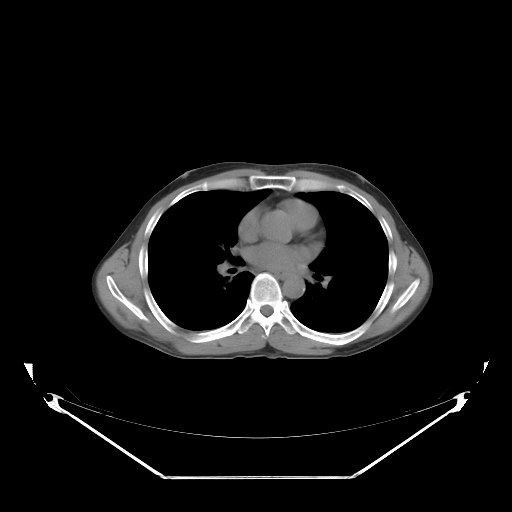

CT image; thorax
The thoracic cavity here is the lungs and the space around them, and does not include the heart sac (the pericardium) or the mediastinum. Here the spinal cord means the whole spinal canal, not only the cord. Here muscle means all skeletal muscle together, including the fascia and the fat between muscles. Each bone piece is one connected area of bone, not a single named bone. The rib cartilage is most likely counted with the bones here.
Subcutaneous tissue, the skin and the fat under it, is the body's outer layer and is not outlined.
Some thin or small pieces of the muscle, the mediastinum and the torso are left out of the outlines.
The muscle appears in 2 outlined pieces: piece 1: 240,168 259,169 266,174 250,174 246,178 223,177 204,180 183,189 168,203 164,211 160,207 150,216 143,233 149,238 147,245 142,244 138,251 139,275 142,279 147,278 148,282 148,286 143,288 148,308 156,320 171,334 175,334 178,327 193,331 189,332 185,338 196,344 221,339 235,333 243,334 257,323 263,329 260,337 264,340 269,336 273,325 278,324 287,334 297,333 317,342 343,346 325,354 288,353 268,344 249,352 185,354 169,343 157,340 144,332 124,327 101,302 96,288 96,276 99,269 120,246 134,238 147,213 156,202 183,185 with a hole at 107,275 110,275 112,277 116,285 121,291 121,292 132,303 137,306 142,311 144,315 148,319 148,321 146,321 139,318 122,302 121,302 118,299 117,299 112,295 107,285 107,282 106,281 106,276; piece 2: 297,169 347,181 370,194 390,213 401,239 407,245 412,246 425,263 429,273 429,285 424,297 410,315 391,330 344,345 360,337 369,328 373,320 385,308 393,292 394,282 387,281 387,279 388,276 395,273 398,260 395,252 392,249 389,250 388,242 393,239 393,235 388,222 381,215 377,218 373,213 374,209 371,203 362,194 343,183 282,174 with a hole at 416,278 418,278 419,279 419,284 418,285 416,290 414,292 414,293 410,297 410,298 401,307 400,307 398,309 397,309 394,312 391,312 391,308 392,307 392,306 394,304 394,303 397,300 398,297. The bones appear in 9 outlined pieces: piece 1: 262,272 275,278 290,311 301,323 325,333 357,328 372,316 386,283 392,281 393,289 368,328 343,345 287,333 278,323 272,325 264,339 264,329 257,322 243,333 196,343 186,336 233,320 245,307 254,277 with a hole at 264,305 268,305 269,306 270,306 272,308 272,312 269,315 268,315 267,316 266,316 265,315 264,315 261,312 261,311 260,310 260,309 261,308 261,307 262,306 263,306; piece 2: 260,174 290,175 297,178 314,178 334,184 343,184 362,195 370,203 373,212 354,197 337,190 289,191 281,188 256,190 218,188 200,190 182,197 168,207 169,203 180,192 204,181 223,178 246,179 250,175; piece 3: 146,287 149,287 149,289 156,303 163,312 163,313 171,321 172,321 178,326 175,329 175,333 171,333 169,331 168,331 157,320 157,319 152,313 151,310 149,308 146,302 145,296 144,295 144,288; piece 4: 107,275 110,275 112,277 116,285 121,291 121,292 132,303 137,306 142,311 144,315 148,319 148,321 146,321 139,318 122,302 121,302 118,299 117,299 112,295 107,285 107,282 106,281 106,276; piece 5: 416,278 418,278 419,279 419,284 418,285 416,290 414,292 414,293 410,297 410,298 401,307 400,307 398,309 397,309 394,312 391,312 391,308 392,307 392,306 394,304 394,303 397,300 398,297; piece 6: 142,245 146,245 147,246 147,277 146,278 142,278 141,277 141,276 140,275 140,272 139,271 139,251 140,250 140,248 141,247 141,246; piece 7: 160,208 161,209 163,209 163,212 162,214 158,219 149,237 147,236 145,236 144,234 145,232 145,229 146,228 146,226 151,216 156,210; piece 8: 390,250 392,250 394,252 394,253 395,254 395,255 396,256 396,259 397,260 397,263 396,264 396,268 395,269 395,271 394,272 394,273 393,274 392,274 391,275 388,275 388,259 389,258 389,251; piece 9: 381,216 382,217 383,217 385,219 385,220 387,222 387,223 390,228 390,230 391,231 391,234 392,235 392,239 390,241 388,241 387,240 387,238 383,231 383,229 382,228 382,227 378,220 378,218. The pericardium is outlined by 277,195 294,195 298,198 309,202 315,206 321,216 323,226 325,229 325,243 318,255 307,264 305,269 301,269 297,271 281,272 254,267 247,263 236,250 236,245 238,242 238,225 243,216 263,200 271,196. The spinal cord is outlined by 264,305 268,305 269,306 270,306 272,308 272,312 269,315 268,315 267,316 266,316 265,315 264,315 261,312 261,311 260,310 260,309 261,308 261,307 262,306 263,306. The thoracic cavity appears in 2 outlined pieces: piece 1: 218,189 235,191 269,189 269,193 242,216 237,225 237,240 231,248 235,255 244,261 243,267 253,275 244,307 233,319 221,326 194,331 181,327 171,320 157,303 148,281 148,243 159,219 168,208 195,192; piece 2: 316,191 337,191 362,204 377,219 388,246 387,278 374,308 361,324 344,332 333,333 313,329 301,322 290,308 293,302 304,295 306,285 310,281 309,265 326,245 327,229 319,210 311,202 297,196 299,192. The mediastinum appears in 2 outlined pieces: piece 1: 245,262 254,268 281,273 297,272 301,270 305,270 308,264 309,264 308,265 308,266 308,268 310,271 308,274 309,281 305,285 305,291 303,295 290,304 283,297 279,282 271,273 267,271 262,271 254,276 250,271 244,267; piece 2: 270,189 281,189 282,190 285,190 286,191 288,191 289,192 290,192 291,191 297,191 298,192 296,195 295,195 294,194 277,194 276,195 271,195 270,196 269,196 268,197 263,199 264,198 265,198 270,193. The torso is outlined by 225,161 270,164 318,162 362,174 391,200 429,258 434,273 434,287 422,312 394,337 360,353 328,360 277,358 269,361 265,357 185,360 117,331 101,314 93,300 90,276 95,265 143,204 158,190 186,170.